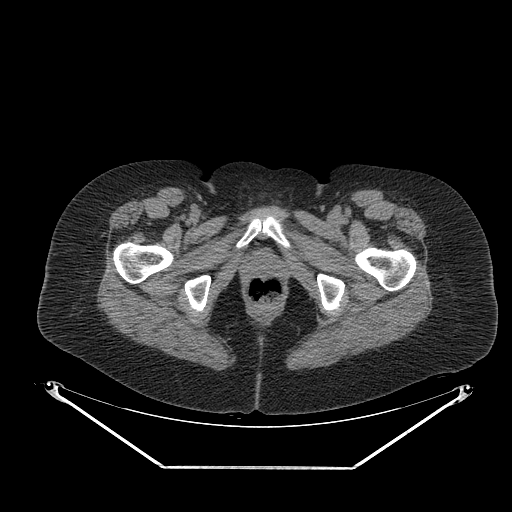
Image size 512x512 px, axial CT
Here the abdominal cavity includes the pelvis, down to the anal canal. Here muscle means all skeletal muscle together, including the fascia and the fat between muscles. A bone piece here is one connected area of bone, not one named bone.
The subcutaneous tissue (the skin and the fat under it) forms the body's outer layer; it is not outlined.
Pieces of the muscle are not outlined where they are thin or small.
{"abdominal_cavity":[[[256,237],[259,239],[265,239],[269,237],[277,244],[280,259],[283,264],[285,271],[285,276],[286,277],[283,302],[279,309],[267,321],[258,321],[252,315],[247,298],[244,293],[243,274],[242,273],[242,261],[244,259],[245,252],[248,247],[248,245]]],"bones":[[[368,247],[376,247],[385,250],[405,249],[409,251],[414,256],[416,260],[416,267],[415,268],[415,271],[410,281],[407,283],[404,287],[395,291],[389,291],[383,288],[379,284],[378,281],[372,275],[361,269],[358,266],[354,259],[355,255],[357,253]],[[127,241],[131,241],[136,244],[159,244],[161,246],[165,247],[173,254],[173,260],[171,264],[166,268],[163,270],[158,271],[149,275],[141,282],[136,284],[129,283],[122,278],[122,277],[117,272],[115,265],[112,259],[114,248],[119,244]],[[270,215],[279,220],[282,226],[282,231],[290,243],[289,247],[287,248],[281,244],[278,244],[271,237],[267,236],[262,232],[259,232],[246,246],[243,246],[240,248],[237,248],[235,246],[237,241],[246,230],[248,224],[254,218],[259,218],[262,220]],[[320,272],[324,273],[325,274],[328,274],[329,275],[335,276],[341,279],[345,284],[344,292],[341,298],[339,306],[337,309],[335,309],[333,311],[328,311],[324,309],[321,303],[321,300],[320,299],[320,293],[319,292],[318,286],[317,285],[317,274]],[[201,274],[208,274],[210,275],[211,277],[211,282],[210,283],[210,286],[209,287],[209,291],[208,292],[208,296],[207,297],[207,302],[203,310],[200,312],[190,307],[189,302],[186,297],[186,295],[184,291],[184,283],[188,279],[190,278],[193,278]]],"torso":[[[151,159],[190,160],[207,171],[240,160],[294,167],[321,183],[331,167],[361,163],[419,170],[445,181],[468,203],[489,244],[498,304],[490,351],[470,367],[382,397],[297,415],[208,413],[127,388],[44,338],[36,311],[51,235],[67,203],[102,172]]],"muscle":[{"outer":[[166,186],[182,189],[210,217],[275,205],[303,210],[323,220],[342,196],[353,191],[389,192],[415,210],[426,225],[424,242],[433,310],[399,340],[326,366],[292,370],[284,359],[287,350],[315,328],[314,300],[290,277],[282,314],[271,325],[256,327],[245,312],[236,274],[219,294],[211,314],[211,325],[227,338],[236,354],[231,367],[215,370],[137,343],[108,324],[96,307],[96,293],[105,268],[108,220],[118,206]],"holes":[[[270,215],[279,220],[282,231],[290,243],[290,246],[287,248],[281,244],[277,245],[285,271],[285,291],[283,302],[279,309],[267,321],[258,321],[252,315],[244,293],[242,261],[248,246],[237,248],[235,245],[246,230],[248,224],[254,218],[262,220]],[[368,247],[376,247],[385,250],[405,249],[409,251],[414,256],[416,260],[416,267],[415,268],[415,271],[410,281],[407,283],[404,287],[395,291],[389,291],[383,288],[379,284],[378,281],[372,275],[361,269],[358,266],[354,259],[355,255],[357,253]],[[127,241],[131,241],[136,244],[159,244],[161,246],[165,247],[173,254],[173,260],[171,264],[166,268],[163,270],[158,271],[149,275],[141,282],[136,284],[129,283],[122,278],[122,277],[117,272],[115,265],[112,259],[114,248],[119,244]],[[320,272],[324,273],[325,274],[328,274],[329,275],[335,276],[341,279],[345,284],[344,292],[341,298],[339,306],[337,309],[335,309],[333,311],[328,311],[324,309],[321,303],[321,300],[320,299],[320,293],[319,292],[318,286],[317,285],[317,274]],[[201,274],[208,274],[210,275],[211,277],[211,282],[210,283],[210,286],[209,287],[209,291],[208,292],[208,296],[207,297],[207,302],[203,310],[200,312],[190,307],[189,302],[186,297],[186,295],[184,291],[184,283],[188,279],[190,278],[193,278]]]}]}